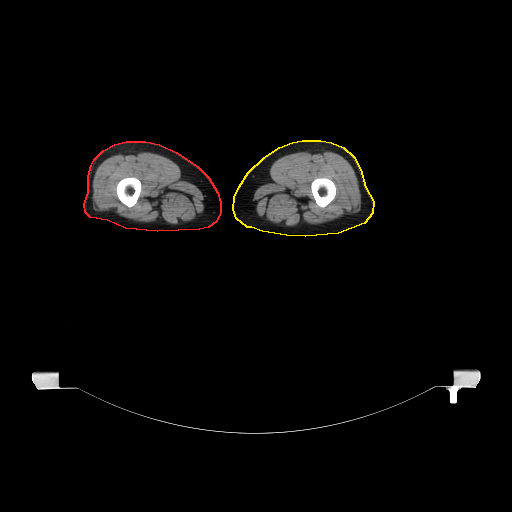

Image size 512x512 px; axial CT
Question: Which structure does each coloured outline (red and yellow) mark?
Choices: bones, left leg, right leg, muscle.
Answer: red: right leg; yellow: left leg.
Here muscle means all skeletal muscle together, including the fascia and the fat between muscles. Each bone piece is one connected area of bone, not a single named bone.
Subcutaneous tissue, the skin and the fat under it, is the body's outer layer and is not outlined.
The right leg is outlined by 126,141 145,141 159,144 176,152 197,166 208,177 217,192 220,202 220,212 216,221 208,227 199,229 157,231 125,228 107,220 90,217 85,212 84,204 88,192 88,176 91,165 94,159 103,150 114,144. The left leg is outlined by 302,140 320,140 331,142 343,147 353,156 360,169 365,187 373,201 372,213 364,223 338,233 305,236 286,235 262,231 251,227 247,227 236,218 233,209 234,197 239,186 248,172 264,157 279,147 292,142. The bones appear in 2 outlined pieces: piece 1: 125,177 136,177 138,179 139,179 139,180 141,182 141,191 138,197 138,199 136,203 134,205 130,207 127,206 125,204 121,202 118,198 117,196 117,194 116,193 116,185 117,183 122,178 124,178; piece 2: 318,177 326,177 327,178 329,178 334,182 335,184 335,186 336,187 336,193 335,194 335,196 334,198 327,205 326,205 324,207 321,207 319,206 316,203 313,197 312,192 311,191 311,182 315,178 317,178. The muscle appears in 2 outlined pieces: piece 1: 299,151 307,151 310,153 331,151 346,159 354,170 357,178 361,195 360,210 354,214 345,215 321,224 301,223 295,226 275,224 259,217 255,210 256,202 253,200 255,190 270,181 269,169 275,160 284,155, around a hole outlined by 318,177 326,177 327,178 329,178 334,182 335,184 335,186 336,187 336,193 335,194 335,196 334,198 327,205 326,205 324,207 321,207 319,206 316,203 313,197 312,192 311,191 311,182 315,178 317,178; piece 2: 144,151 167,157 179,166 181,178 198,187 204,196 202,201 204,210 202,213 198,214 190,221 171,224 161,219 151,222 140,222 122,217 112,211 96,211 93,209 93,178 98,166 105,159 112,155 136,154; inner edge: 125,177 136,177 138,179 139,179 139,180 141,182 141,191 138,197 138,199 136,203 134,205 130,207 127,206 125,204 121,202 118,198 117,196 117,194 116,193 116,185 117,183 122,178 124,178.